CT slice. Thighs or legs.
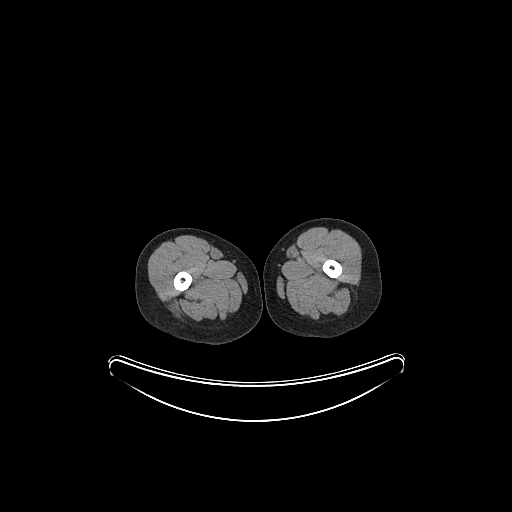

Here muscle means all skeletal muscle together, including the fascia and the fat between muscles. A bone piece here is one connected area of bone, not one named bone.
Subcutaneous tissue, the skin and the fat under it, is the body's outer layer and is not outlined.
The left leg is outlined by [[323,217],[338,218],[348,221],[362,229],[369,236],[375,246],[379,259],[382,279],[382,295],[379,305],[374,313],[365,323],[359,327],[343,335],[332,338],[303,337],[284,331],[278,327],[270,318],[263,295],[263,267],[269,252],[286,232],[302,222]]. The right leg is outlined by [[180,227],[198,228],[216,234],[237,246],[248,256],[254,264],[258,273],[264,304],[259,321],[249,332],[243,336],[228,343],[219,345],[194,343],[178,339],[160,331],[150,325],[141,315],[135,297],[135,268],[139,254],[144,246],[157,234],[165,230]]. The muscle appears in 2 outlined pieces: piece 1: [[184,234],[190,234],[201,237],[218,246],[224,252],[235,259],[246,275],[248,281],[248,296],[242,313],[236,318],[224,324],[216,325],[196,326],[184,324],[178,322],[164,307],[163,303],[158,298],[148,279],[147,275],[148,259],[152,252],[169,237]] with a hole at [[179,271],[184,271],[185,272],[189,272],[189,273],[191,275],[191,276],[192,277],[192,281],[191,282],[190,285],[185,290],[184,290],[183,291],[179,291],[178,290],[175,289],[175,288],[173,285],[173,278],[174,277],[174,276]]; piece 2: [[318,226],[329,226],[333,228],[341,229],[350,234],[359,242],[359,245],[362,251],[361,278],[359,285],[357,287],[357,303],[355,310],[349,316],[335,323],[314,322],[301,318],[286,307],[278,296],[274,287],[274,265],[280,251],[297,233],[311,227]] with a hole at [[329,258],[331,258],[332,259],[334,259],[335,260],[336,260],[338,262],[339,262],[342,266],[342,272],[341,273],[341,274],[337,278],[332,278],[331,277],[328,276],[323,271],[323,270],[322,269],[322,264],[323,263],[323,262],[326,259],[328,259]]. The bones appear in 2 outlined pieces: piece 1: [[329,258],[331,258],[332,259],[334,259],[335,260],[336,260],[338,262],[339,262],[342,266],[342,272],[341,273],[341,274],[337,278],[332,278],[331,277],[328,276],[323,271],[323,270],[322,269],[322,264],[323,263],[323,262],[326,259],[328,259]]; piece 2: [[179,271],[184,271],[185,272],[189,272],[189,273],[191,275],[191,276],[192,277],[192,281],[191,282],[190,285],[185,290],[184,290],[183,291],[179,291],[178,290],[175,289],[175,288],[173,285],[173,278],[174,277],[174,276]].